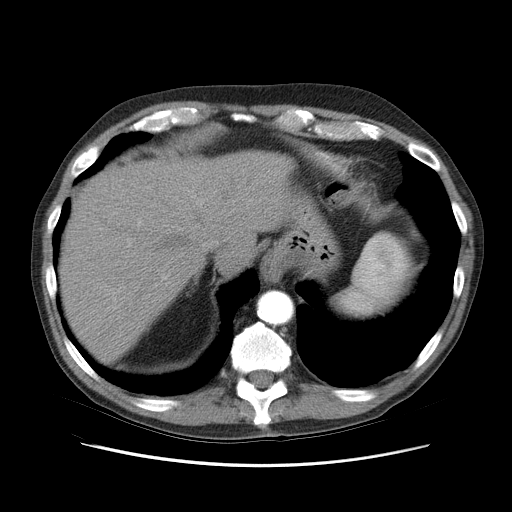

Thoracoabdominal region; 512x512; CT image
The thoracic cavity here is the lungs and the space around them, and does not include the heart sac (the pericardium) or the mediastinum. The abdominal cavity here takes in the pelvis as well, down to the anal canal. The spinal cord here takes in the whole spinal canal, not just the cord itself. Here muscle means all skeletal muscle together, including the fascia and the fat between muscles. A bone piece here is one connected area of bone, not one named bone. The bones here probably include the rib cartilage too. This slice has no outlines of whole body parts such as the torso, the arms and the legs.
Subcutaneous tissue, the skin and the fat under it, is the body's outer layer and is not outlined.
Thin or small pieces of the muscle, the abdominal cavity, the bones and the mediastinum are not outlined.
{"bones":[{"outer":[[256,322],[261,322],[276,332],[292,350],[291,364],[281,374],[287,388],[287,393],[270,402],[267,409],[270,422],[258,425],[253,422],[255,416],[253,406],[236,393],[236,384],[239,374],[233,369],[230,361],[230,350],[234,336],[245,327]],"hole":[[255,370],[267,370],[268,371],[270,371],[272,372],[274,374],[274,379],[273,381],[267,387],[265,388],[258,388],[256,387],[249,380],[248,378],[248,375],[249,373]]},[[288,109],[307,110],[311,112],[318,120],[328,122],[347,123],[355,120],[367,122],[380,127],[383,130],[383,136],[378,140],[370,138],[330,139],[318,137],[312,131],[308,130],[306,127],[302,127],[295,133],[293,133],[282,129],[275,122],[276,118]],[[182,106],[191,106],[198,109],[200,117],[199,120],[195,123],[184,124],[183,125],[173,125],[168,129],[159,132],[148,132],[142,130],[130,131],[129,132],[125,131],[126,127],[139,120],[144,116],[146,116],[155,111],[170,109],[171,108],[177,108]],[[135,397],[147,397],[148,398],[167,398],[168,399],[175,399],[176,400],[178,400],[180,402],[180,403],[178,405],[170,409],[168,409],[164,411],[152,411],[148,409],[145,409],[144,408],[139,407],[133,404],[130,400],[131,398],[134,398]],[[95,145],[99,146],[101,150],[98,157],[95,160],[95,161],[85,170],[84,170],[81,173],[80,173],[75,178],[72,178],[70,174],[70,172],[71,171],[72,165],[74,161],[76,159],[76,158],[82,152],[87,150],[90,147],[94,146]],[[409,142],[413,142],[416,144],[420,144],[421,145],[423,145],[427,147],[435,155],[435,156],[437,158],[439,162],[440,169],[437,172],[428,165],[425,164],[423,162],[420,161],[418,159],[412,156],[408,152],[407,150],[407,145]],[[334,388],[345,388],[346,389],[362,389],[363,388],[366,388],[367,389],[373,389],[376,392],[376,396],[375,397],[374,397],[373,398],[372,398],[369,400],[367,400],[366,401],[345,401],[344,400],[342,400],[340,398],[337,397],[332,392],[332,390]],[[65,335],[67,336],[67,337],[75,346],[75,347],[83,357],[83,358],[99,376],[99,379],[98,380],[96,380],[94,378],[93,378],[91,376],[87,374],[76,363],[76,362],[70,355],[69,352],[67,350],[65,346],[65,344],[63,340],[63,338]],[[438,329],[441,329],[442,330],[442,336],[438,344],[436,346],[435,349],[429,356],[429,357],[419,367],[415,369],[414,368],[414,362],[415,360],[417,358],[418,355],[420,353],[422,349]],[[50,263],[52,263],[53,265],[53,267],[55,271],[56,283],[57,284],[56,296],[55,297],[55,300],[54,301],[53,301],[51,299],[49,295],[49,293],[47,289],[47,286],[46,285],[46,280],[45,279],[45,273],[46,272],[46,268]],[[451,201],[455,201],[459,205],[459,206],[461,208],[464,214],[464,216],[465,217],[465,220],[467,224],[467,231],[464,235],[461,234],[460,232],[460,230],[458,227],[458,225],[456,222],[456,220],[455,219],[455,217],[453,213],[453,210],[451,206]],[[457,265],[460,265],[462,267],[463,269],[463,272],[464,273],[464,281],[463,282],[463,286],[461,290],[461,293],[460,295],[457,298],[453,296],[453,283],[454,282],[454,275],[455,274],[455,270],[457,267]],[[59,204],[61,205],[61,210],[60,211],[60,214],[59,215],[58,220],[53,229],[53,231],[52,233],[50,234],[48,233],[48,231],[47,230],[47,220],[51,212],[54,209],[54,208],[57,205]],[[234,112],[237,112],[238,113],[244,113],[245,114],[252,114],[253,115],[254,115],[256,117],[256,121],[255,121],[254,122],[248,122],[247,121],[243,121],[242,120],[241,120],[240,121],[236,121],[235,120],[232,119],[230,117],[230,114],[231,114]]],"muscle":[[[180,100],[246,106],[286,103],[354,113],[420,139],[440,157],[472,215],[473,269],[453,337],[402,391],[349,417],[270,423],[271,402],[288,393],[282,374],[292,362],[308,378],[334,387],[331,392],[345,402],[369,401],[377,392],[367,387],[413,362],[413,368],[419,368],[439,344],[443,336],[439,327],[465,281],[458,257],[461,235],[467,233],[468,224],[460,205],[449,198],[438,174],[441,166],[436,155],[413,141],[404,148],[383,137],[384,130],[376,124],[318,119],[303,108],[286,109],[275,118],[277,125],[237,111],[200,120],[199,109],[191,105],[155,110],[126,126],[125,132],[102,149],[95,144],[75,158],[69,172],[71,189],[46,220],[47,233],[52,234],[52,262],[44,273],[46,289],[56,303],[64,346],[87,375],[134,394],[156,397],[135,396],[130,402],[145,410],[164,412],[181,403],[168,397],[193,392],[219,373],[224,377],[230,366],[238,374],[236,395],[254,410],[253,424],[181,425],[144,416],[89,388],[69,368],[53,337],[41,286],[45,213],[69,162],[82,147],[140,109]]],"abdominal_cavity":[[[219,113],[306,140],[292,154],[322,197],[337,185],[368,202],[404,204],[431,244],[417,289],[385,317],[345,321],[320,302],[314,282],[270,281],[249,269],[216,293],[219,331],[191,366],[157,375],[104,367],[70,330],[57,292],[72,186],[132,144]]],"mediastinum":[[[259,275],[263,276],[270,282],[279,282],[283,278],[291,278],[294,286],[294,291],[299,296],[298,304],[295,307],[296,335],[294,345],[290,345],[276,331],[261,321],[256,321],[245,326],[234,335],[233,320],[235,315],[241,306],[258,293],[260,289]],[[300,135],[330,140],[370,139],[378,141],[385,138],[398,144],[406,150],[398,153],[402,163],[403,179],[395,191],[395,197],[384,202],[381,201],[378,195],[390,169],[389,159],[381,150],[363,145],[348,145],[337,142],[308,142],[306,139],[300,137]],[[325,182],[334,182],[335,183],[337,183],[338,184],[346,186],[342,186],[341,185],[338,185],[337,184],[335,185],[330,185],[325,191],[324,195],[322,196],[318,193],[316,193],[316,192],[314,191],[314,188],[316,186],[316,185],[320,183],[324,183]],[[173,126],[179,126],[181,127],[180,127],[179,129],[174,129],[173,130],[169,131],[166,135],[164,135],[163,137],[162,137],[160,139],[158,139],[157,140],[151,140],[150,139],[152,137],[152,133],[159,133],[160,132],[163,132],[166,130],[168,130]]],"pericardium":[[[306,143],[316,143],[317,144],[337,143],[341,145],[348,146],[363,146],[381,151],[388,159],[389,169],[383,185],[378,194],[371,201],[368,201],[354,196],[349,191],[347,186],[344,184],[334,181],[325,181],[316,183],[311,178],[307,169],[293,154]]],"spinal_cord":[[[255,370],[267,370],[268,371],[270,371],[272,372],[274,374],[274,379],[273,381],[267,387],[265,388],[258,388],[256,387],[249,380],[248,378],[248,375],[249,373]]],"thoracic_cavity":[[[402,151],[437,173],[460,233],[448,310],[414,361],[378,383],[346,388],[316,381],[292,361],[296,307],[305,302],[295,285],[314,283],[319,302],[338,320],[376,320],[391,314],[417,291],[432,256],[430,240],[411,210],[395,196],[404,179],[399,156]],[[249,270],[256,272],[259,289],[237,309],[232,320],[230,365],[222,367],[201,387],[167,397],[134,393],[100,376],[66,334],[56,302],[58,294],[69,330],[96,363],[127,375],[157,376],[191,367],[208,350],[222,323],[217,293],[222,286],[233,282]],[[138,131],[151,133],[151,137],[149,139],[146,141],[136,142],[128,145],[122,149],[119,153],[108,159],[100,169],[87,177],[84,177],[82,179],[80,179],[76,183],[73,183],[74,179],[96,161],[102,150],[110,140],[120,134],[130,132],[137,132]],[[67,197],[69,198],[70,203],[69,204],[68,215],[65,220],[65,223],[63,226],[59,238],[59,247],[58,248],[57,267],[56,268],[57,283],[56,271],[53,264],[53,245],[52,244],[52,238],[53,237],[54,229],[59,220],[61,214],[62,205]]]}